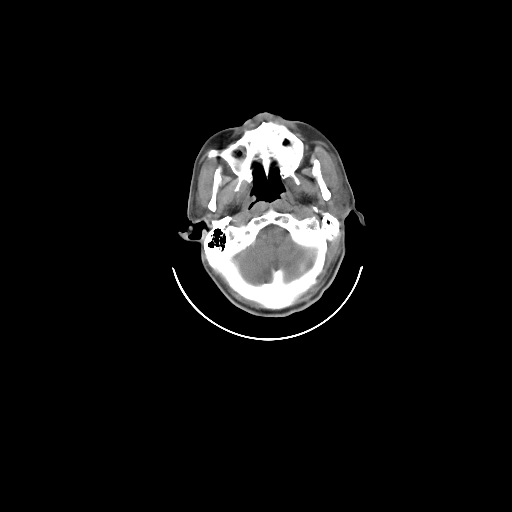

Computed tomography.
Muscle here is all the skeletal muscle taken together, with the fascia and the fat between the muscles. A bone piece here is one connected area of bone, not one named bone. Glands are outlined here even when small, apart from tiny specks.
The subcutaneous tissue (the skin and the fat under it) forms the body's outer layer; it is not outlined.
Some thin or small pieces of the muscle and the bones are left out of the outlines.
Outlines:
bones 1: 312,206 336,217 340,222 340,234 327,242 324,265 316,282 292,305 263,308 235,291 209,265 202,241 202,232 209,227 208,221 230,215 232,224 244,225 270,208 291,213 298,219 314,215 319,218 321,214; inner edge: 271,224 283,228 287,231 291,240 296,245 313,253 313,261 307,269 288,280 285,279 285,270 282,267 278,267 271,270 271,277 268,281 253,283 243,276 238,264 234,261 234,257 252,245 255,242 259,232
bones 2: 263,120 285,125 303,142 303,157 294,172 299,184 290,176 281,179 275,167 266,175 259,164 253,171 252,182 243,180 239,190 234,191 237,176 230,166 220,156 209,158 207,153 227,147 244,130 254,128
bones 3: 313,158 315,158 319,161 320,163 320,169 321,170 322,177 328,189 331,193 331,197 328,200 325,200 323,199 321,194 320,187 316,179 312,174 312,165 313,164 312,162 312,159
bones 4: 219,166 221,167 221,172 220,173 221,174 221,183 218,187 216,193 216,196 215,197 216,200 216,209 215,211 211,211 207,207 207,205 211,198 211,195 212,194 212,185 213,184 213,176 214,175 214,172
muscle 1: 265,118 294,125 305,136 320,140 328,146 334,155 341,176 341,183 333,188 332,193 333,205 339,214 339,220 329,211 321,210 315,205 312,205 311,208 315,213 320,214 319,217 314,214 298,218 291,212 279,211 270,207 239,225 232,223 234,218 230,214 209,221 206,218 204,215 205,208 197,191 199,162 203,154 207,149 227,140 246,126, around holes outlined by 263,120 285,125 304,146 303,157 294,172 299,184 290,176 282,179 283,191 271,201 257,201 251,193 253,183 245,180 239,190 234,191 237,176 227,162 220,156 207,156 209,150 227,147 244,130 254,128 and by 313,158 315,158 319,161 320,163 320,169 321,170 322,177 328,189 331,193 331,197 328,200 325,200 323,199 321,194 320,187 316,179 312,174 312,165 313,164 312,162 312,159 and by 219,166 221,167 221,172 220,173 221,174 221,183 218,187 216,193 216,196 215,197 216,200 216,209 215,211 211,211 207,207 207,205 211,198 211,195 212,194 212,185 213,184 213,176 214,175 214,172
muscle 2: 340,235 339,252 336,259 331,266 331,268 326,279 316,292 310,297 303,301 295,303 296,300 301,295 305,293 317,282 317,278 322,272 325,265 325,262 327,257 327,252 328,251 328,242 333,241 335,238
muscle 3: 213,270 215,272 218,273 224,279 228,286 235,292 247,300 253,301 256,303 258,303 262,308 258,308 257,307 251,306 248,304 244,303 242,301 236,298 229,291 228,288 224,284 220,278 213,271
head: 262,111 309,123 325,134 339,153 356,208 365,221 363,228 355,212 349,213 344,222 346,251 334,279 317,301 282,317 256,316 236,307 204,270 199,244 178,234 190,224 190,180 203,143 214,133 237,126 with holes at 259,165 261,166 264,174 266,176 268,175 269,170 271,168 277,169 278,175 281,180 281,183 283,186 283,191 281,192 279,197 271,201 264,200 257,201 255,196 253,194 252,195 251,193 254,179 254,171 and at 201,222 203,222 204,223 204,226 201,230 201,233 200,234 200,236 198,238 191,238 190,237 189,237 189,235 190,234 191,234 194,230 194,226 196,224 197,224 198,223 200,223
parotid glands 1: 338,184 342,184 343,187 345,188 347,192 347,196 348,198 350,199 349,200 349,205 347,208 347,210 344,213 339,213 338,212 338,211 336,209 334,205 334,202 333,201 333,193 334,192 334,188
parotid glands 2: 197,192 197,194 198,195 198,199 199,200 200,203 202,205 203,205 203,207 204,208 202,214 198,214 196,212 196,211 195,210 195,203 196,202 196,197 197,196
brain: 271,224 283,228 287,231 291,240 296,245 313,253 313,261 307,269 288,280 285,279 285,270 282,267 278,267 271,270 271,277 268,281 253,283 243,276 238,264 234,261 234,257 252,245 255,242 259,232